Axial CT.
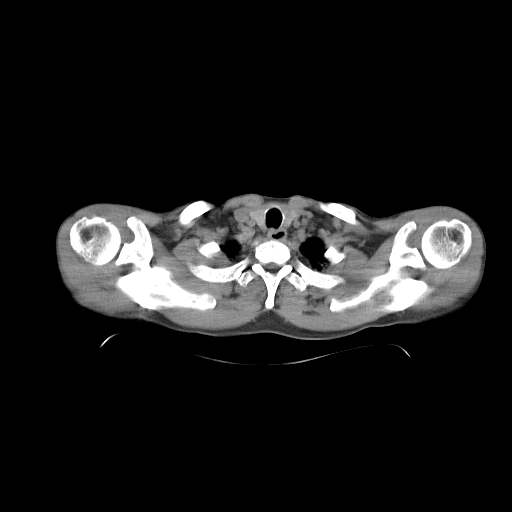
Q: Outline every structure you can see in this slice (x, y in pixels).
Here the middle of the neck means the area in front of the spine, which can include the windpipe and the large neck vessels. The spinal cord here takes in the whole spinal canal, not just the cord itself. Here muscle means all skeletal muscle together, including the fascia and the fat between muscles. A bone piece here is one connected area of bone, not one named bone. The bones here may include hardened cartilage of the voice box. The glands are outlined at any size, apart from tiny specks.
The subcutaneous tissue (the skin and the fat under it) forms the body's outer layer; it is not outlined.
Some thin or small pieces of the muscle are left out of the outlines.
A: Outlines (x, y in pixels):
left arm: 432 204; 447 204; 459 208; 468 213; 477 221; 481 227; 486 241; 487 255; 486 256; 485 271; 479 289; 471 300; 463 308; 452 314; 436 286; 429 276; 429 274; 414 241; 420 224; 422 221; 424 213; 426 210; 427 205; 431 205
torso: 248 192; 341 200; 376 216; 426 206; 413 241; 428 276; 451 314; 417 324; 368 328; 335 339; 304 340; 274 333; 214 337; 86 311; 116 271; 126 245; 129 231; 124 203; 167 209; 190 199; 203 198; 218 205; 231 196
middle of the neck: 271 206; 279 208; 286 228; 299 216; 308 220; 307 234; 317 237; 324 249; 325 261; 320 270; 304 261; 297 245; 276 238; 250 239; 234 259; 222 249; 225 239; 231 236; 235 210; 247 210; 250 218; 263 229; 266 211
spinal cord: 268 263; 275 263; 277 265; 278 265; 279 266; 279 268; 276 271; 275 271; 274 272; 272 272; 271 271; 269 271; 268 270; 267 270; 264 267; 264 265; 265 265; 266 264; 267 264
thyroid glands: 271 204; 272 205; 281 205; 290 210; 294 210; 297 212; 298 217; 292 221; 289 226; 286 227; 284 224; 283 214; 280 208; 276 205; 271 205; 265 211; 264 214; 264 227; 261 228; 251 218; 249 213; 250 211; 263 210
bones 1: 94 215; 113 223; 122 243; 134 238; 127 218; 139 218; 151 237; 150 265; 169 268; 172 278; 185 289; 212 294; 215 306; 152 310; 133 301; 115 286; 119 276; 133 269; 131 263; 116 265; 114 258; 94 265; 70 244; 72 224
bones 2: 452 218; 470 228; 470 248; 445 269; 426 261; 425 269; 402 269; 433 288; 418 303; 391 313; 377 311; 390 300; 381 291; 355 307; 330 310; 332 297; 348 298; 387 271; 393 239; 402 225; 415 222; 406 242; 419 249; 428 226
bones 3: 271 239; 286 244; 312 269; 341 276; 344 282; 328 290; 308 285; 301 291; 282 278; 275 291; 273 307; 266 309; 267 288; 259 275; 241 286; 235 280; 205 281; 189 269; 189 264; 214 268; 229 266; 253 251; 254 240; 262 242, around a hole outlined by 268 263; 275 263; 277 265; 278 265; 279 266; 279 268; 276 271; 275 271; 274 272; 272 272; 271 271; 269 271; 268 270; 267 270; 264 267; 264 265; 265 265; 266 264; 267 264
bones 4: 319 201; 323 201; 324 202; 336 202; 337 203; 340 203; 347 207; 349 207; 351 208; 353 210; 354 210; 355 212; 355 216; 358 222; 356 224; 352 224; 334 215; 332 215; 322 210; 319 207; 319 205; 318 204
bones 5: 200 199; 202 199; 203 200; 206 200; 210 202; 214 205; 213 207; 211 209; 203 213; 201 215; 193 218; 188 223; 186 223; 185 224; 182 224; 180 223; 179 221; 179 214; 182 211; 182 210; 188 204; 196 200; 199 200
bones 6: 211 240; 214 240; 216 242; 217 242; 217 243; 220 246; 220 247; 221 248; 221 251; 215 256; 214 256; 211 258; 209 258; 208 257; 206 257; 204 255; 203 255; 198 250; 198 247; 199 246; 200 246; 203 243; 206 243
bones 7: 330 245; 332 245; 334 246; 337 250; 338 250; 340 252; 342 252; 344 253; 345 255; 345 256; 340 261; 334 264; 332 264; 329 261; 328 261; 324 257; 323 255; 325 250
muscle 1: 246 195; 280 202; 293 197; 307 198; 317 201; 322 211; 352 225; 359 222; 356 212; 380 220; 427 208; 455 210; 469 218; 480 233; 483 253; 479 277; 471 291; 449 307; 401 312; 434 290; 404 268; 425 270; 426 262; 438 270; 448 269; 472 245; 469 225; 452 217; 432 222; 421 234; 420 247; 411 246; 407 240; 417 224; 410 219; 393 236; 386 271; 373 275; 356 293; 343 298; 332 296; 329 301; 329 310; 340 313; 371 302; 382 292; 389 300; 374 310; 388 314; 331 331; 298 327; 270 310; 236 327; 190 327; 157 311; 206 311; 216 306; 216 297; 208 291; 185 288; 165 265; 151 265; 152 237; 139 217; 132 214; 126 218; 133 238; 122 242; 119 228; 104 216; 94 214; 83 215; 71 224; 71 248; 94 266; 114 259; 116 266; 131 264; 132 269; 119 275; 114 286; 140 307; 151 310; 97 309; 76 297; 60 266; 58 239; 72 216; 96 205; 127 206; 158 214; 184 207; 178 221; 185 225; 214 206 with a hole at 271 204; 294 210; 306 218; 307 234; 317 237; 325 250; 332 245; 344 253; 337 263; 326 259; 320 270; 339 275; 344 282; 328 290; 308 285; 301 291; 282 278; 275 291; 273 307; 266 309; 267 288; 259 275; 241 286; 235 280; 205 281; 190 271; 189 264; 224 267; 251 253; 253 239; 234 259; 222 249; 209 258; 198 247; 211 240; 223 246; 231 236; 233 214; 238 208; 249 213
muscle 2: 287 242; 289 242; 290 243; 291 243; 292 244; 293 244; 294 245; 295 245; 298 247; 298 251; 302 256; 302 257; 303 258; 303 261; 300 258; 299 258; 299 257; 297 255; 294 254; 292 252; 292 250; 291 249; 291 248; 287 244
right arm: 96 201; 123 202; 123 207; 124 208; 125 219; 127 225; 128 236; 115 271; 87 309; 84 310; 78 307; 72 301; 59 279; 58 273; 56 269; 55 258; 54 257; 54 240; 57 229; 62 220; 66 216; 77 208; 85 204